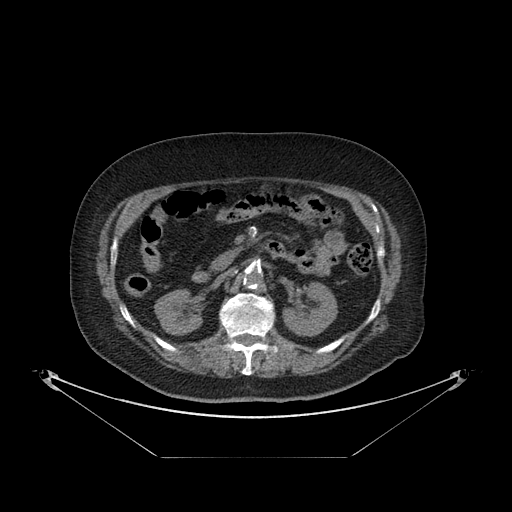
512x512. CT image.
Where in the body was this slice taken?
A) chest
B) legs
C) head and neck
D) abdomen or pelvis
D) abdomen or pelvis
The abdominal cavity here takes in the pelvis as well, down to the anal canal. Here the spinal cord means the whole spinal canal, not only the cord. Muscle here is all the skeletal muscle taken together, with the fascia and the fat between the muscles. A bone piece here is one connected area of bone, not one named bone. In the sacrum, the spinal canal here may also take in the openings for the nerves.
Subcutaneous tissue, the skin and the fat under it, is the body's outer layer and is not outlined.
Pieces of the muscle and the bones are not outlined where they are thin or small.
torso: [[224,131],[303,131],[335,135],[375,150],[402,172],[420,202],[427,235],[425,327],[418,344],[407,356],[349,389],[322,398],[282,403],[202,403],[156,392],[90,348],[78,328],[69,295],[70,239],[79,204],[88,187],[109,164],[135,148],[176,136]]
bones 1: [[242,292],[264,296],[273,303],[275,314],[273,325],[266,333],[264,341],[277,345],[278,349],[266,354],[262,350],[256,350],[251,357],[253,372],[250,375],[241,373],[245,366],[242,352],[226,351],[218,346],[228,340],[219,319],[220,308],[229,298]] with a hole at [[243,334],[249,334],[250,335],[252,335],[253,336],[257,336],[258,337],[259,337],[259,340],[258,341],[257,341],[256,342],[255,342],[250,345],[245,345],[242,343],[240,343],[239,342],[238,342],[236,340],[236,337],[237,337],[239,335],[242,335]]
bones 2: [[344,334],[346,335],[344,340],[336,348],[335,348],[333,350],[331,351],[329,351],[328,352],[322,352],[321,353],[315,353],[315,351],[318,348],[322,346],[324,346],[330,343],[332,341],[337,339],[339,337],[340,337]]
bones 3: [[115,236],[116,236],[117,237],[117,241],[118,242],[118,247],[117,248],[117,257],[116,258],[116,262],[115,263],[115,267],[114,268],[114,269],[111,269],[111,268],[110,267],[110,246],[111,245],[111,244],[112,243],[112,240],[113,239],[113,238]]
bones 4: [[378,297],[379,298],[380,298],[380,309],[379,310],[379,312],[378,313],[378,314],[368,324],[366,324],[365,325],[364,324],[364,321],[369,315],[369,314],[370,313],[370,311],[371,310],[371,308],[372,307],[372,306],[374,304],[374,302]]
bones 5: [[153,334],[155,334],[156,335],[157,335],[163,340],[168,342],[170,344],[171,344],[173,346],[174,346],[176,348],[177,348],[179,351],[178,352],[174,352],[173,351],[170,351],[169,350],[167,350],[166,349],[163,348],[156,342],[156,341],[153,337]]
bones 6: [[121,302],[123,302],[123,303],[126,306],[126,307],[127,308],[129,313],[131,315],[131,317],[132,318],[132,319],[136,326],[136,327],[135,328],[132,327],[131,326],[131,325],[123,317],[123,316],[119,309],[119,304]]
bones 7: [[381,239],[382,239],[383,240],[383,245],[384,246],[384,248],[385,249],[385,254],[383,257],[383,264],[382,265],[382,266],[380,266],[379,265],[379,264],[378,263],[378,260],[377,259],[377,256],[376,255],[376,249],[377,248],[378,243]]
abdominal cavity: [[242,182],[296,184],[350,204],[371,236],[380,271],[377,297],[361,323],[319,347],[296,343],[281,335],[274,325],[274,303],[251,291],[229,297],[219,308],[217,330],[197,341],[172,342],[132,316],[115,279],[119,244],[128,229],[154,201],[174,189]]
muscle: [[249,175],[300,178],[353,188],[383,205],[400,234],[402,272],[399,285],[388,307],[389,325],[345,362],[320,374],[294,379],[270,379],[251,375],[254,372],[252,357],[256,351],[262,351],[266,355],[269,352],[276,353],[279,349],[277,344],[265,341],[267,333],[273,326],[287,340],[317,348],[314,353],[321,354],[336,349],[345,340],[347,332],[363,322],[365,326],[368,325],[380,312],[381,298],[378,295],[381,285],[380,267],[384,264],[386,254],[384,240],[381,238],[376,248],[372,236],[351,204],[342,197],[318,188],[281,181],[242,181],[177,187],[154,200],[127,229],[119,243],[116,235],[111,240],[109,267],[114,270],[115,287],[121,299],[118,309],[130,326],[134,329],[137,327],[133,317],[142,326],[155,333],[152,337],[159,346],[178,353],[180,351],[177,347],[163,339],[177,344],[197,342],[212,336],[218,330],[220,323],[227,340],[217,346],[226,352],[242,353],[244,366],[240,373],[243,375],[213,379],[164,367],[114,326],[102,300],[96,273],[96,245],[103,224],[121,200],[160,185]] with holes at [[375,222],[378,222],[380,224],[380,225],[381,226],[381,232],[380,233],[377,233],[375,231],[375,229],[374,228],[374,223]] and at [[370,202],[372,202],[376,206],[376,207],[377,208],[377,209],[378,210],[378,213],[377,214],[376,214],[375,213],[374,213],[373,212],[373,211],[372,210],[372,209],[370,207],[370,206],[369,205],[369,203]] and at [[284,343],[287,343],[288,344],[291,344],[292,345],[293,345],[293,348],[292,349],[289,349],[287,347],[285,347],[284,346],[283,346],[282,345]]
spinal cord: [[243,334],[249,334],[250,335],[252,335],[253,336],[257,336],[258,337],[259,337],[259,340],[258,341],[257,341],[256,342],[255,342],[250,345],[245,345],[242,343],[240,343],[239,342],[238,342],[236,340],[236,337],[237,337],[239,335],[242,335]]